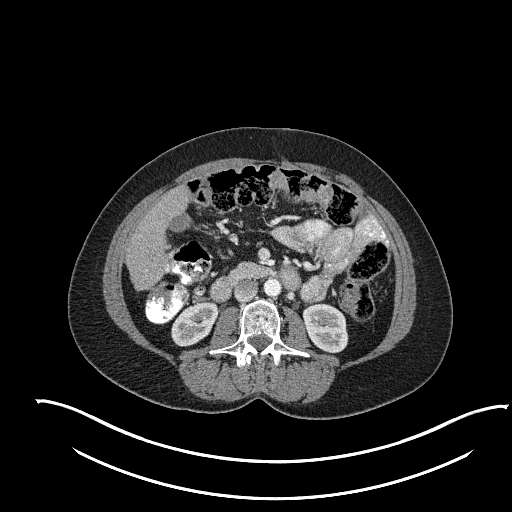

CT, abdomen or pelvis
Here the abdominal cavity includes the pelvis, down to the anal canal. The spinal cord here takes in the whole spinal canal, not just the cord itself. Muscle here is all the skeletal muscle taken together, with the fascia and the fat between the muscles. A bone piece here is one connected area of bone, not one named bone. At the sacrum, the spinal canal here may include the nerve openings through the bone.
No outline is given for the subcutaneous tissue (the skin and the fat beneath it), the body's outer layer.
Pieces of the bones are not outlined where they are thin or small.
Outlines:
bones: (238, 367) (249, 364) (253, 357) (260, 362) (270, 355) (274, 364) (278, 365) (281, 357) (286, 354) (309, 356) (305, 351) (292, 348) (281, 340) (281, 316) (272, 302) (260, 298) (242, 306) (239, 319) (240, 334) (237, 340) (230, 345) (209, 351) (210, 354) (233, 355), around a hole outlined by (258, 350) (261, 350) (263, 348) (264, 348) (271, 341) (271, 340) (268, 337) (267, 337) (265, 335) (264, 335) (263, 334) (261, 334) (260, 335) (255, 335) (254, 336) (253, 336) (252, 337) (250, 337) (248, 339) (248, 341) (253, 346) (254, 346)
muscle: (300, 403) (307, 403) (317, 400) (329, 389) (336, 375) (338, 373) (354, 365) (365, 362) (389, 351) (409, 331) (413, 322) (414, 311) (416, 307) (416, 279) (415, 278) (415, 272) (413, 266) (413, 258) (408, 242) (400, 226) (394, 217) (386, 208) (374, 199) (366, 190) (363, 189) (357, 182) (349, 176) (343, 173) (336, 172) (334, 170) (325, 166) (321, 166) (317, 164) (309, 163) (308, 162) (291, 162) (290, 161) (282, 161) (274, 159) (253, 159) (252, 158) (243, 158) (242, 157) (231, 157) (230, 158) (217, 159) (197, 165) (183, 172) (177, 176) (170, 183) (168, 183) (156, 189) (144, 197) (128, 212) (118, 225) (109, 244) (103, 268) (103, 274) (102, 275) (102, 291) (103, 292) (103, 297) (105, 301) (107, 312) (116, 325) (125, 332) (128, 337) (136, 344) (151, 353) (160, 357) (172, 366) (179, 373) (183, 381) (183, 383) (187, 387) (188, 390) (194, 395) (200, 398) (212, 401) (223, 400) (229, 402) (241, 399) (253, 393) (260, 393) (262, 392) (278, 401) (282, 402) (299, 401) with a hole at (238, 367) (309, 356) (281, 340) (283, 304) (302, 318) (312, 349) (341, 361) (383, 337) (393, 254) (354, 193) (257, 163) (180, 183) (138, 222) (122, 281) (140, 331) (176, 356) (208, 344) (220, 310) (233, 305) (240, 334) (209, 353) (231, 354)
abdominal cavity: (341, 361) (366, 353) (383, 337) (395, 291) (389, 240) (354, 193) (298, 168) (250, 164) (166, 190) (130, 234) (124, 296) (134, 322) (156, 346) (175, 356) (204, 346) (221, 309) (233, 305) (240, 311) (261, 297) (278, 307) (281, 324) (280, 306) (293, 308) (310, 347)
spinal cord: (258, 350) (261, 350) (263, 348) (264, 348) (271, 341) (271, 340) (268, 337) (267, 337) (265, 335) (264, 335) (263, 334) (261, 334) (260, 335) (255, 335) (254, 336) (253, 336) (252, 337) (250, 337) (248, 339) (248, 341) (253, 346) (254, 346)
torso: (303, 419) (333, 419) (375, 409) (415, 391) (435, 373) (453, 325) (451, 291) (437, 248) (391, 177) (340, 139) (296, 128) (241, 126) (181, 142) (126, 179) (87, 233) (67, 292) (67, 319) (74, 342) (99, 373) (153, 403) (198, 413) (223, 413) (260, 399) (281, 413)